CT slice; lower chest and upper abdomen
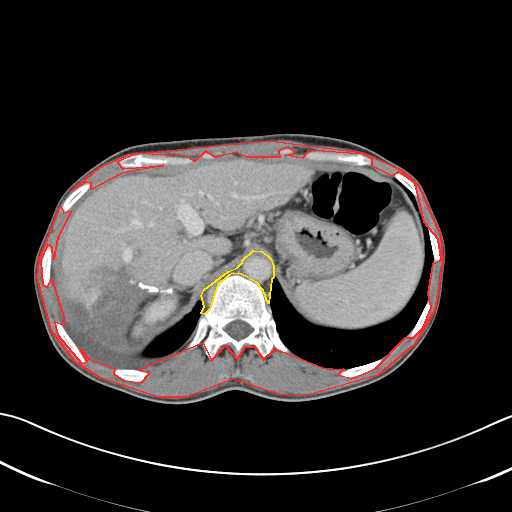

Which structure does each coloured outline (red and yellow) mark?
red: muscle; yellow: mediastinum.
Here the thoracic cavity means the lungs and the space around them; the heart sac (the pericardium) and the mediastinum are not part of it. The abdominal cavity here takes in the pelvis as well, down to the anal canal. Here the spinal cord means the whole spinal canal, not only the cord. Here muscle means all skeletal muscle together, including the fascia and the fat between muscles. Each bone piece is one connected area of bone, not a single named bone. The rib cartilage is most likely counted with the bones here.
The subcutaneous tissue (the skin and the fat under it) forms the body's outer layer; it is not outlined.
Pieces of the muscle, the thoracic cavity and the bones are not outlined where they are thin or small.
{"muscle":[[[268,140],[363,152],[400,169],[417,184],[440,235],[442,262],[434,310],[414,344],[377,375],[307,395],[279,394],[232,379],[186,397],[158,397],[101,378],[74,361],[51,330],[37,277],[39,259],[60,206],[63,212],[71,210],[57,237],[53,259],[52,247],[47,244],[40,260],[42,284],[47,287],[51,279],[63,316],[63,325],[54,322],[57,334],[81,363],[87,361],[80,349],[88,358],[114,368],[113,373],[123,380],[141,382],[149,373],[138,369],[202,342],[211,360],[225,345],[237,359],[245,346],[254,346],[263,359],[275,348],[322,367],[343,369],[338,374],[351,378],[375,368],[405,337],[413,337],[423,327],[431,307],[428,293],[433,263],[441,259],[438,239],[424,222],[415,183],[398,171],[392,176],[372,166],[372,159],[363,154],[308,150],[302,158],[285,155],[295,152],[286,147],[278,151],[279,157],[246,157],[236,152],[215,157],[205,151],[194,161],[185,156],[136,153],[117,162],[122,168],[163,165],[122,173],[91,189],[91,183],[86,182],[72,190],[99,167],[127,154]]],"mediastinum":[[[253,250],[261,251],[267,255],[270,258],[273,266],[273,277],[271,279],[268,303],[263,290],[256,282],[241,274],[233,273],[228,275],[217,285],[209,309],[204,314],[201,313],[204,306],[201,295],[204,289],[228,271],[237,267],[242,262],[242,260]]],"bones":[{"outer":[[233,274],[241,275],[260,287],[271,309],[279,337],[289,352],[284,353],[273,347],[269,355],[263,358],[254,345],[245,345],[237,358],[233,348],[225,344],[217,349],[211,359],[205,353],[202,341],[192,349],[186,348],[200,316],[210,309],[216,288]],"hole":[[236,320],[240,320],[241,321],[243,321],[247,323],[249,325],[250,325],[253,329],[252,331],[245,337],[241,339],[239,339],[238,340],[232,337],[227,332],[226,332],[224,330],[224,327],[227,324],[228,324],[230,322],[232,322]]},[[136,154],[141,154],[144,156],[176,156],[177,157],[185,157],[186,158],[191,158],[193,161],[185,164],[174,164],[173,165],[172,164],[166,164],[165,165],[163,164],[144,164],[140,167],[122,167],[118,164],[118,162],[122,158],[126,156],[135,155]],[[308,151],[318,151],[319,152],[329,152],[330,153],[342,153],[343,154],[360,154],[370,158],[372,161],[372,164],[371,165],[357,165],[355,163],[352,162],[338,162],[337,161],[318,161],[317,160],[310,160],[309,159],[306,159],[303,156],[303,155]],[[56,321],[59,321],[62,324],[62,325],[64,327],[64,330],[66,332],[66,333],[73,341],[73,342],[78,347],[80,352],[82,354],[83,357],[86,361],[84,363],[81,362],[78,359],[77,359],[65,346],[58,334],[58,332],[55,325],[55,322]],[[47,245],[49,245],[51,247],[52,252],[51,253],[51,268],[50,269],[50,281],[49,282],[48,285],[47,286],[45,286],[43,284],[43,281],[42,280],[42,276],[41,275],[41,260],[42,259],[42,257],[43,256],[43,253],[44,252],[45,247]],[[86,183],[90,183],[90,187],[87,190],[87,191],[67,211],[63,211],[62,210],[61,210],[60,209],[61,208],[61,205],[62,204],[62,203],[64,201],[64,200],[66,198],[66,197],[72,191],[73,191],[78,187],[79,187],[80,186],[81,186]],[[382,357],[383,357],[383,359],[381,361],[381,362],[375,367],[359,375],[356,375],[355,376],[352,376],[351,377],[343,377],[339,374],[340,371],[344,369],[348,369],[352,367],[355,367],[356,366],[363,365],[364,364],[372,362],[375,360],[377,360]],[[115,368],[117,369],[137,369],[138,370],[141,370],[142,371],[145,371],[147,372],[148,373],[148,375],[143,380],[141,381],[130,381],[129,380],[126,380],[125,379],[123,379],[117,376],[114,373],[113,371]],[[427,300],[429,300],[430,301],[430,307],[429,308],[429,312],[428,313],[428,315],[427,316],[427,318],[425,322],[423,324],[422,327],[413,336],[411,337],[406,337],[406,336],[413,328],[417,320],[419,318],[423,310],[423,308],[425,306],[425,304]],[[395,172],[398,172],[399,173],[406,176],[408,178],[409,178],[414,183],[414,184],[416,186],[416,187],[418,190],[418,192],[419,193],[418,196],[416,198],[414,196],[414,195],[407,188],[406,188],[397,179],[396,179],[393,176],[393,174]],[[427,226],[430,226],[432,228],[435,234],[435,236],[437,239],[438,244],[439,245],[439,248],[440,249],[440,259],[436,262],[434,262],[433,260],[433,252],[432,251],[432,248],[431,247],[431,242],[430,241],[430,238],[429,237],[429,233],[428,232]]],"spinal_cord":[[[236,320],[240,320],[241,321],[243,321],[247,323],[249,325],[250,325],[253,329],[252,331],[245,337],[241,339],[239,339],[238,340],[232,337],[227,332],[226,332],[224,330],[224,327],[227,324],[228,324],[230,322],[232,322]]],"thoracic_cavity":[[[423,223],[427,229],[433,261],[427,299],[414,325],[399,343],[377,359],[348,368],[322,366],[308,361],[290,350],[280,337],[269,304],[274,277],[293,309],[304,320],[314,326],[343,331],[357,331],[378,326],[395,318],[406,307],[420,283],[426,259]],[[198,302],[200,302],[203,306],[200,313],[201,314],[197,320],[192,336],[182,350],[154,365],[142,368],[110,367],[88,357],[67,333],[63,322],[63,320],[66,325],[74,332],[95,341],[113,351],[128,354],[143,354],[158,337],[173,328],[189,314]]],"abdominal_cavity":[[[235,153],[371,166],[397,180],[417,204],[425,242],[422,274],[405,307],[390,320],[364,329],[314,325],[288,301],[271,258],[253,249],[208,284],[200,295],[202,303],[143,353],[113,350],[71,329],[51,269],[58,237],[74,205],[88,190],[122,174]]],"torso":[[[286,132],[355,142],[402,166],[423,186],[444,237],[446,259],[436,317],[426,337],[408,359],[371,384],[328,397],[280,401],[230,390],[183,404],[132,396],[99,384],[66,363],[48,337],[33,286],[38,246],[54,206],[66,188],[102,159],[131,145]]]}